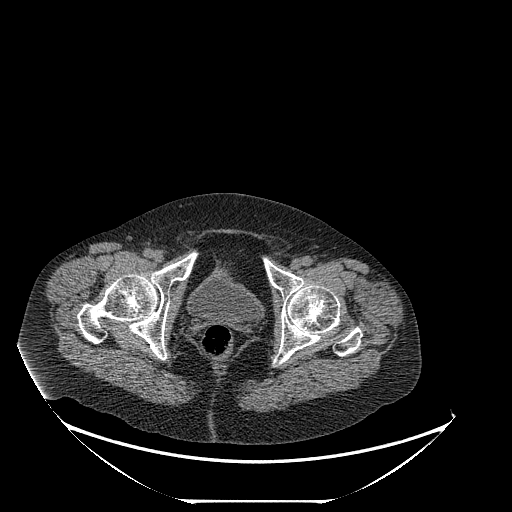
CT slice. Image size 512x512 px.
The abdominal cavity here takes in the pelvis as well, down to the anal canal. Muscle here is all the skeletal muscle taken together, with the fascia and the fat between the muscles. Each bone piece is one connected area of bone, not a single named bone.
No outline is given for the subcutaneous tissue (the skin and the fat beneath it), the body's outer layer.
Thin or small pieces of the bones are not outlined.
torso: 212,192 250,194 303,210 358,243 393,275 411,301 420,335 421,371 407,395 333,433 289,443 249,445 180,440 132,427 114,415 99,412 69,397 43,399 16,348 28,297 41,269 58,253 85,238 169,201
abdominal cavity: 214,233 251,236 263,241 269,248 269,252 262,254 260,258 271,291 273,307 272,335 259,334 248,339 226,363 218,362 209,357 198,339 178,326 175,321 186,287 186,280 190,276 200,254 195,244 205,236
muscle: 210,227 277,236 291,243 297,256 357,259 380,273 402,302 404,325 376,373 355,389 283,410 241,409 233,395 237,382 258,380 271,366 319,342 342,320 341,302 323,284 275,264 263,240 223,232 205,235 183,257 149,273 119,275 99,300 81,304 76,324 95,345 109,334 100,324 103,319 125,324 165,362 171,288 185,281 174,321 209,358 226,364 248,340 273,335 272,287 282,302 279,344 271,362 266,345 252,345 229,372 216,375 197,348 180,354 169,371 202,391 178,406 145,401 70,365 56,350 44,293 58,266 92,243 165,246 186,230, around a hole outlined by 355,325 358,325 363,331 363,336 361,339 361,344 360,345 360,347 359,349 355,353 352,353 351,354 349,354 345,356 339,356 334,352 334,350 333,349 333,343 343,338 354,327
bones 1: 195,248 199,254 189,276 185,280 175,281 170,288 164,331 168,353 165,361 157,358 149,345 125,323 103,318 99,324 108,334 97,344 82,335 76,315 83,303 99,301 106,288 123,274 149,274 180,260
bones 2: 262,255 266,255 279,268 290,271 304,278 306,282 323,285 328,288 338,297 340,302 341,320 319,341 297,350 286,361 277,367 272,367 271,363 280,344 281,308 283,302 280,292 269,283 261,258
bones 3: 355,325 358,325 363,331 363,336 361,339 361,344 360,345 360,347 359,349 355,353 352,353 351,354 349,354 345,356 339,356 334,352 334,350 333,349 333,343 343,338 354,327